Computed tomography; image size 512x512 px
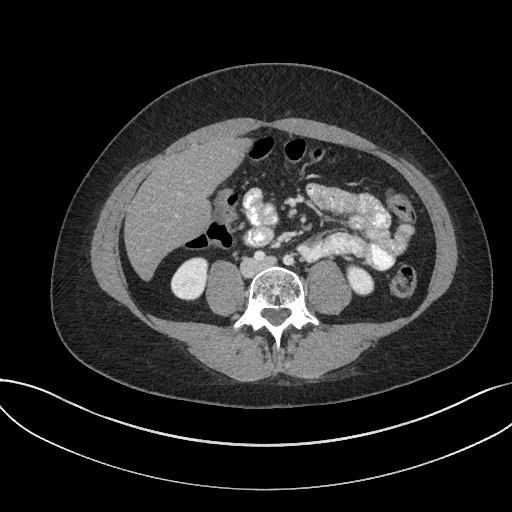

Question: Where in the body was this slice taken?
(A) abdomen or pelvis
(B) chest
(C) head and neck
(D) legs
Answer: (A) abdomen or pelvis
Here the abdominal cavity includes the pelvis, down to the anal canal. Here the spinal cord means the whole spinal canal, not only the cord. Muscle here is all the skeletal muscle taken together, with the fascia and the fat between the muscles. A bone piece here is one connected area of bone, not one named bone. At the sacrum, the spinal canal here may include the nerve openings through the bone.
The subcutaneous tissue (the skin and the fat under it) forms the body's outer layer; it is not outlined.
The spinal cord is outlined by (274, 325) (278, 325) (279, 324) (280, 324) (288, 316) (288, 315) (289, 314) (289, 311) (287, 309) (265, 309) (263, 311) (263, 316) (264, 317) (265, 317) (272, 324) (273, 324). The torso is outlined by (244, 409) (340, 403) (427, 378) (456, 365) (473, 350) (491, 312) (493, 269) (487, 237) (454, 167) (394, 101) (370, 85) (326, 67) (246, 63) (198, 75) (165, 91) (137, 112) (91, 165) (68, 205) (56, 242) (50, 277) (51, 316) (61, 341) (75, 358) (138, 391). The abdominal cavity is outlined by (217, 324) (228, 319) (211, 311) (205, 289) (218, 259) (238, 268) (247, 290) (272, 265) (293, 270) (307, 289) (307, 269) (331, 259) (352, 298) (324, 320) (410, 314) (435, 257) (418, 195) (375, 155) (270, 127) (218, 134) (166, 157) (122, 219) (128, 287) (154, 315). The muscle is outlined by (241, 382) (255, 382) (264, 378) (274, 377) (279, 373) (283, 373) (286, 375) (300, 379) (305, 379) (309, 377) (313, 377) (316, 375) (320, 375) (327, 371) (330, 371) (342, 366) (345, 366) (356, 360) (359, 357) (360, 354) (365, 350) (370, 347) (374, 347) (382, 337) (400, 329) (411, 322) (419, 316) (435, 300) (439, 298) (447, 290) (452, 281) (457, 266) (457, 246) (456, 245) (456, 239) (455, 238) (452, 221) (450, 218) (447, 208) (434, 185) (413, 164) (401, 156) (396, 155) (353, 132) (351, 132) (338, 126) (328, 124) (324, 122) (321, 122) (312, 119) (301, 118) (300, 117) (288, 117) (287, 118) (276, 119) (272, 121) (260, 120) (251, 117) (236, 117) (235, 118) (226, 119) (222, 121) (218, 121) (200, 127) (178, 138) (159, 153) (138, 163) (131, 168) (115, 186) (105, 201) (100, 211) (99, 217) (94, 229) (91, 240) (91, 248) (90, 249) (91, 268) (99, 286) (106, 293) (115, 299) (120, 304) (126, 306) (132, 313) (150, 327) (160, 333) (165, 334) (168, 337) (177, 340) (181, 343) (182, 344) (181, 346) (202, 364) (217, 372) (227, 375) (237, 381) (240, 381) with a hole at (278, 349) (290, 327) (319, 324) (305, 279) (323, 259) (352, 292) (324, 320) (410, 314) (433, 269) (432, 225) (375, 155) (270, 127) (218, 134) (139, 184) (121, 223) (122, 267) (142, 309) (225, 324) (205, 289) (211, 264) (232, 262) (248, 291) (233, 328) (263, 328). The bones are outlined by (278, 349) (283, 333) (290, 327) (301, 329) (308, 322) (317, 325) (319, 320) (305, 305) (306, 290) (300, 278) (293, 271) (272, 266) (260, 271) (252, 279) (248, 289) (246, 308) (233, 324) (233, 328) (236, 329) (243, 324) (249, 325) (253, 330) (263, 328) (273, 337); inner edge: (274, 325) (278, 325) (279, 324) (280, 324) (288, 316) (288, 315) (289, 314) (289, 311) (287, 309) (265, 309) (263, 311) (263, 316) (264, 317) (265, 317) (272, 324) (273, 324).